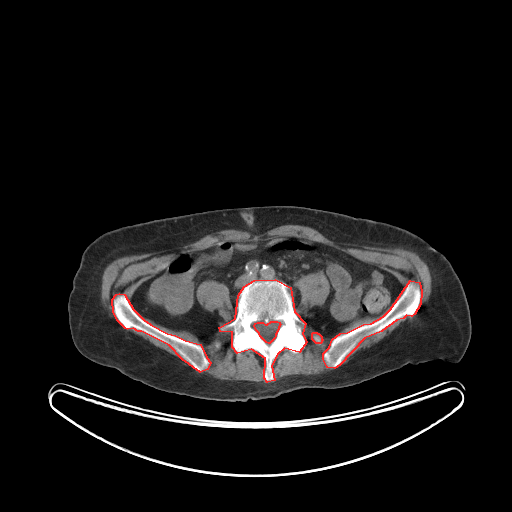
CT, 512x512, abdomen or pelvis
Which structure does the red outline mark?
red: bones.
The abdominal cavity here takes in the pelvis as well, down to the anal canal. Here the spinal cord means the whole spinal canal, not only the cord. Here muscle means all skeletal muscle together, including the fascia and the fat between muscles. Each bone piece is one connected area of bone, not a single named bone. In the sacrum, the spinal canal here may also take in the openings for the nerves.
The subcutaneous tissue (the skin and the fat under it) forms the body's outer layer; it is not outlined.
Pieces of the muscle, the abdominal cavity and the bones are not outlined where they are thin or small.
The bones appear in 4 outlined pieces: piece 1: [[275,279],[290,287],[294,311],[305,323],[302,333],[306,342],[299,352],[284,348],[277,354],[271,365],[274,380],[267,382],[264,378],[265,358],[251,349],[237,353],[232,347],[232,332],[220,331],[219,327],[235,318],[238,295],[244,286],[254,280]]; inner edge: [[271,321],[277,321],[279,322],[280,324],[278,327],[278,329],[275,334],[275,336],[274,338],[269,343],[268,343],[266,342],[260,336],[259,333],[256,330],[254,325],[255,323],[257,322],[262,322],[265,324],[267,324]]; piece 2: [[410,280],[419,282],[421,291],[420,304],[414,314],[411,316],[406,315],[403,318],[396,320],[381,331],[364,338],[339,365],[334,368],[327,367],[323,359],[323,353],[329,347],[332,339],[340,333],[347,332],[363,324],[371,323],[383,316],[390,309]]; piece 3: [[119,293],[124,294],[133,309],[143,319],[150,324],[167,333],[175,335],[185,340],[200,344],[206,357],[210,362],[207,369],[200,372],[182,359],[169,345],[141,331],[138,331],[133,328],[127,329],[125,328],[118,321],[113,312],[112,299],[116,294]]; piece 4: [[313,332],[316,332],[317,333],[318,333],[321,336],[321,338],[322,339],[322,340],[321,341],[321,342],[320,343],[316,343],[312,339],[312,333]]. The spinal cord is outlined by [[271,321],[277,321],[279,322],[280,324],[278,327],[278,329],[275,334],[275,336],[274,338],[269,343],[268,343],[266,342],[260,336],[259,333],[256,330],[254,325],[255,323],[257,322],[262,322],[265,324],[267,324]]. The torso is outlined by [[264,205],[303,206],[383,221],[416,234],[441,252],[462,283],[470,311],[471,338],[460,361],[449,363],[437,359],[407,364],[345,387],[301,388],[270,398],[220,401],[160,390],[83,356],[71,337],[67,303],[81,255],[96,237],[121,226],[153,219]]. The abdominal cavity is outlined by [[278,236],[327,245],[394,275],[403,289],[379,317],[362,317],[337,333],[325,333],[298,316],[291,287],[277,278],[244,285],[229,322],[229,288],[214,279],[202,281],[195,292],[198,303],[224,320],[203,338],[142,317],[130,302],[144,281],[187,252]], around a hole outlined by [[314,272],[322,272],[324,274],[329,283],[329,293],[324,303],[321,306],[304,307],[300,304],[301,295],[300,294],[300,291],[299,289],[296,286],[296,282],[299,279],[299,278],[301,277],[301,276],[303,275],[306,275],[310,273],[313,273]]. The muscle appears in 7 outlined pieces: piece 1: [[286,224],[308,226],[330,240],[349,245],[412,250],[429,268],[431,292],[415,318],[402,322],[378,342],[357,351],[345,363],[341,364],[342,362],[361,341],[396,321],[415,314],[422,300],[421,285],[419,281],[410,279],[404,287],[389,271],[305,237],[278,235],[190,250],[144,280],[132,292],[129,301],[124,293],[116,293],[111,303],[117,321],[108,315],[101,303],[104,269],[119,257],[179,248],[223,229],[260,234]]; piece 2: [[143,318],[172,330],[189,331],[200,339],[206,338],[217,330],[220,332],[230,331],[232,334],[231,347],[237,354],[251,350],[259,353],[264,358],[265,367],[263,378],[266,382],[220,380],[206,373],[202,373],[208,369],[211,362],[200,343],[167,332]]; piece 3: [[306,323],[325,334],[337,334],[331,339],[328,347],[322,353],[322,359],[325,366],[329,369],[332,369],[315,375],[294,374],[287,375],[275,380],[275,374],[272,365],[278,354],[284,349],[296,354],[305,348],[307,342],[303,333],[303,328],[306,326]]; inner edge: [[313,332],[316,332],[317,333],[318,333],[321,336],[321,338],[322,339],[322,340],[321,341],[321,342],[320,343],[316,343],[312,339],[312,333]]; piece 4: [[206,280],[214,280],[218,282],[221,282],[225,284],[229,290],[230,303],[232,308],[230,311],[231,317],[230,320],[224,324],[220,324],[220,323],[225,320],[216,310],[211,312],[205,309],[199,303],[197,299],[197,295],[196,294],[197,288],[202,282]]; piece 5: [[314,272],[322,272],[324,274],[329,283],[329,293],[324,303],[321,306],[304,307],[300,304],[301,295],[300,294],[300,291],[299,289],[296,286],[296,282],[299,279],[299,278],[301,277],[301,276],[303,275],[306,275],[310,273],[313,273]]; piece 6: [[128,329],[133,329],[138,332],[141,332],[142,333],[143,333],[144,334],[145,334],[146,335],[169,346],[181,358],[180,358],[179,357],[178,357],[177,356],[154,345],[148,340],[147,340],[146,339],[143,338],[141,336],[128,330]]; piece 7: [[366,317],[369,317],[370,318],[379,318],[371,322],[367,322],[366,323],[363,323],[362,324],[357,325],[351,328],[347,331],[345,331],[344,332],[340,332],[338,333],[344,327],[349,325],[351,323],[354,322],[356,320],[358,320],[362,318],[365,318]].